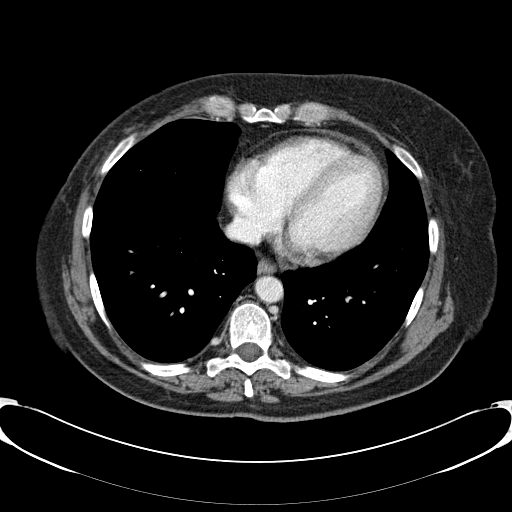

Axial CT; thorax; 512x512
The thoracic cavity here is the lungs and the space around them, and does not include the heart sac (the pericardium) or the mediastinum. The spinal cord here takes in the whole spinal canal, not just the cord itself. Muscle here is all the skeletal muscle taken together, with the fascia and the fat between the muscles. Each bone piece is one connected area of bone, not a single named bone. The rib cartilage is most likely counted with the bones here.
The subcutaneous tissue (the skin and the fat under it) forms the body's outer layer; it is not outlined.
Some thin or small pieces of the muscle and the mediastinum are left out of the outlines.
Outlined structures:
mediastinum 1: (224, 189) (225, 200) (264, 237) (277, 256) (307, 266) (286, 269) (281, 274) (283, 302) (279, 320) (276, 323) (272, 322) (268, 312) (261, 305) (253, 301) (237, 304) (227, 316) (241, 290) (255, 279) (257, 258) (250, 247) (229, 240) (219, 226) (217, 216) (221, 208)
mediastinum 2: (233, 121) (250, 124) (274, 124) (287, 126) (322, 126) (334, 123) (353, 126) (373, 136) (388, 149) (386, 151) (387, 170) (382, 157) (360, 139) (335, 130) (303, 127) (277, 131) (253, 143) (235, 158) (226, 175) (230, 159) (237, 145) (237, 140) (241, 131)
muscle 1: (208, 95) (212, 95) (202, 105) (208, 115) (232, 119) (237, 112) (238, 117) (244, 121) (204, 117) (179, 118) (163, 124) (139, 141) (135, 132) (132, 132) (122, 138) (109, 152) (99, 168) (99, 173) (104, 177) (93, 204) (87, 204) (83, 210) (80, 231) (81, 235) (89, 240) (92, 268) (88, 272) (88, 286) (95, 310) (108, 329) (113, 327) (132, 350) (147, 360) (140, 360) (140, 367) (158, 377) (186, 374) (192, 369) (185, 361) (218, 340) (226, 327) (230, 352) (224, 356) (211, 356) (204, 365) (205, 373) (211, 378) (227, 368) (236, 368) (246, 375) (243, 382) (243, 394) (246, 397) (235, 402) (219, 402) (198, 394) (167, 390) (106, 358) (88, 340) (74, 319) (65, 299) (61, 277) (61, 256) (80, 194) (104, 153) (128, 131) (140, 124)
muscle 2: (320, 103) (351, 112) (396, 136) (406, 143) (430, 176) (439, 198) (445, 228) (448, 276) (454, 305) (453, 321) (409, 362) (373, 382) (325, 395) (291, 398) (277, 402) (252, 400) (249, 398) (254, 395) (254, 389) (250, 377) (261, 369) (268, 369) (284, 380) (290, 378) (292, 370) (303, 377) (325, 383) (339, 383) (351, 378) (353, 375) (350, 372) (344, 372) (352, 370) (372, 358) (402, 326) (410, 325) (425, 294) (425, 286) (422, 281) (428, 267) (429, 257) (438, 250) (439, 224) (434, 216) (428, 219) (418, 180) (424, 177) (423, 170) (416, 158) (406, 148) (393, 143) (389, 149) (373, 135) (346, 123) (334, 122) (322, 125) (287, 125) (250, 123) (283, 124) (285, 123) (288, 120) (311, 124) (322, 122) (328, 119) (330, 111) (326, 105)
muscle 3: (273, 332) (275, 333) (275, 335) (277, 336) (277, 337) (283, 342) (286, 346) (291, 349) (292, 351) (300, 357) (300, 358) (302, 359) (306, 364) (304, 365) (293, 364) (288, 359) (284, 357) (273, 358) (269, 354) (269, 349) (273, 343) (273, 338) (274, 337) (274, 333)
muscle 4: (214, 94) (217, 94) (218, 95) (229, 95) (236, 102) (238, 103) (240, 103) (241, 102) (249, 102) (250, 103) (252, 103) (246, 103) (245, 102) (243, 102) (242, 103) (240, 103) (236, 107) (235, 106) (234, 102) (230, 98) (226, 98) (219, 95) (214, 95)
pericardium: (303, 128) (335, 131) (360, 140) (381, 157) (385, 164) (388, 178) (388, 188) (385, 201) (377, 219) (365, 238) (359, 244) (337, 257) (313, 266) (303, 265) (277, 255) (265, 237) (226, 200) (224, 188) (226, 176) (230, 171) (232, 164) (244, 150) (271, 134) (284, 130)
spinal cord: (244, 343) (253, 343) (254, 344) (256, 344) (260, 348) (260, 349) (261, 350) (261, 354) (260, 355) (259, 355) (255, 359) (254, 359) (251, 361) (247, 361) (246, 360) (243, 359) (240, 356) (240, 355) (236, 352) (236, 350) (239, 346) (240, 346)
torso: (231, 72) (389, 78) (439, 102) (477, 141) (497, 199) (492, 226) (498, 259) (495, 296) (475, 339) (427, 385) (360, 410) (310, 420) (196, 416) (155, 408) (119, 393) (68, 357) (52, 339) (37, 298) (36, 245) (46, 214) (78, 158) (114, 118) (140, 100) (186, 80)
bones 1: (244, 302) (256, 303) (267, 312) (273, 331) (268, 354) (273, 359) (350, 373) (351, 377) (325, 382) (292, 369) (289, 378) (284, 379) (261, 368) (249, 377) (253, 395) (247, 397) (247, 375) (240, 369) (227, 367) (209, 376) (205, 362) (231, 352) (228, 317) (234, 307), around a hole outlined by (244, 343) (253, 343) (254, 344) (256, 344) (260, 348) (260, 349) (261, 350) (261, 354) (260, 355) (259, 355) (255, 359) (254, 359) (251, 361) (247, 361) (246, 360) (243, 359) (240, 356) (240, 355) (236, 352) (236, 350) (239, 346) (240, 346)
bones 2: (213, 95) (230, 99) (236, 108) (245, 103) (253, 104) (258, 109) (261, 107) (273, 109) (279, 104) (288, 103) (295, 110) (303, 103) (315, 102) (326, 106) (329, 116) (314, 123) (291, 119) (283, 123) (247, 122) (239, 117) (237, 111) (232, 118) (208, 114) (203, 105)
bones 3: (140, 361) (147, 361) (148, 362) (152, 362) (153, 363) (160, 363) (161, 364) (170, 364) (171, 363) (179, 363) (180, 362) (184, 362) (191, 369) (191, 370) (186, 373) (182, 373) (181, 374) (178, 374) (177, 375) (158, 376) (157, 375) (153, 375) (143, 369) (140, 365)
bones 4: (132, 133) (135, 133) (136, 134) (137, 142) (135, 144) (134, 144) (110, 168) (110, 169) (106, 173) (106, 174) (104, 176) (103, 176) (100, 173) (100, 168) (104, 161) (109, 155) (110, 152) (122, 139) (123, 139) (125, 137)
bones 5: (92, 269) (94, 272) (94, 274) (97, 281) (97, 284) (99, 288) (99, 292) (104, 306) (106, 316) (108, 318) (112, 326) (110, 328) (108, 328) (102, 321) (100, 316) (96, 310) (95, 305) (92, 299) (92, 296) (90, 291) (90, 287) (89, 286) (89, 272)
bones 6: (393, 144) (396, 144) (399, 146) (401, 146) (402, 147) (403, 147) (405, 149) (406, 149) (415, 158) (415, 159) (419, 164) (419, 165) (422, 170) (423, 177) (421, 179) (418, 179) (414, 175) (414, 174) (393, 153) (393, 152) (391, 150) (391, 148) (392, 147) (392, 145)
bones 7: (421, 284) (422, 284) (424, 286) (424, 294) (423, 295) (422, 301) (420, 304) (420, 306) (415, 316) (413, 318) (409, 325) (408, 326) (404, 326) (402, 325) (404, 322) (404, 320) (407, 314) (407, 312) (410, 307) (410, 305) (412, 302) (412, 300) (417, 290) (419, 288)
bones 8: (431, 217) (434, 217) (436, 219) (436, 220) (437, 221) (437, 223) (438, 224) (438, 230) (439, 231) (439, 236) (438, 237) (438, 243) (437, 244) (437, 250) (435, 252) (435, 253) (434, 254) (430, 254) (430, 252) (429, 251) (429, 237) (428, 236) (428, 220)
bones 9: (89, 204) (91, 204) (92, 205) (92, 210) (93, 211) (93, 217) (91, 221) (91, 230) (89, 234) (89, 239) (87, 239) (82, 235) (82, 232) (81, 231) (81, 229) (82, 228) (82, 220) (83, 219) (83, 213) (84, 212) (84, 210) (85, 208) (87, 206) (87, 205)
thoracic cavity 1: (192, 118) (223, 120) (239, 128) (225, 172) (216, 220) (229, 241) (253, 251) (256, 272) (254, 279) (240, 290) (231, 304) (226, 316) (227, 324) (218, 339) (184, 361) (153, 362) (132, 349) (107, 316) (92, 264) (90, 234) (93, 205) (107, 173) (134, 145) (169, 122)
thoracic cavity 2: (388, 150) (413, 174) (421, 190) (427, 217) (429, 252) (424, 276) (401, 326) (372, 357) (346, 371) (327, 370) (307, 364) (276, 335) (273, 329) (273, 324) (280, 320) (284, 302) (282, 274) (286, 270) (315, 267) (330, 262) (359, 245) (367, 237) (382, 211) (389, 192)